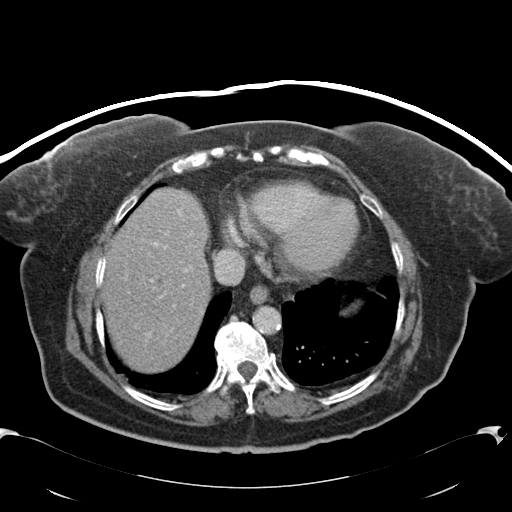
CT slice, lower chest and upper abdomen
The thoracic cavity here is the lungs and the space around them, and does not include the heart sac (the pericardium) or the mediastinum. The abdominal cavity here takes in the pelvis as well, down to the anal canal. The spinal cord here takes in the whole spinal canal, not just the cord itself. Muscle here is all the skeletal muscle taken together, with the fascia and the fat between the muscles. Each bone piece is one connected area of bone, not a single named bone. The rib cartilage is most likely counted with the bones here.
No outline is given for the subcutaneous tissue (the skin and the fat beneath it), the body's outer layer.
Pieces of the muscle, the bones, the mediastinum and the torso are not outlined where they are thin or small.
{"bones":[{"outer":[[232,317],[233,320],[248,323],[261,334],[268,350],[275,354],[279,369],[296,386],[295,391],[282,388],[275,393],[264,382],[258,382],[252,394],[253,414],[245,411],[247,400],[238,383],[232,384],[222,396],[218,389],[203,393],[217,369],[216,333]],"hole":[[245,361],[248,361],[249,362],[251,362],[252,363],[253,363],[256,366],[256,370],[255,371],[255,372],[254,373],[254,374],[249,379],[246,379],[240,373],[240,372],[238,370],[238,366],[241,363],[242,363],[243,362],[244,362]]},[[274,145],[280,145],[285,149],[294,146],[305,151],[319,153],[333,164],[338,166],[342,171],[339,172],[321,165],[311,165],[308,162],[290,164],[279,161],[278,159],[281,155],[280,154],[273,155],[267,151],[269,147]],[[219,146],[221,146],[225,149],[225,154],[220,158],[214,158],[210,156],[209,159],[211,161],[211,163],[208,166],[204,166],[203,167],[190,167],[181,173],[175,173],[170,168],[171,164],[178,159],[184,158],[196,151],[207,150],[213,147],[218,147]],[[377,370],[379,370],[379,374],[377,377],[367,387],[355,395],[349,398],[347,398],[344,400],[342,400],[332,404],[329,404],[328,405],[322,404],[317,400],[317,398],[318,397],[327,396],[337,392],[343,391],[349,388],[364,378],[370,373],[374,372]],[[122,384],[128,384],[135,389],[145,394],[147,394],[156,399],[159,399],[166,402],[176,402],[177,403],[180,403],[182,406],[179,408],[170,411],[166,411],[165,410],[161,410],[160,409],[154,408],[151,406],[144,404],[133,398],[123,389],[121,385]],[[133,194],[136,194],[139,196],[139,198],[138,200],[133,206],[133,207],[131,208],[121,219],[119,223],[117,225],[115,225],[114,224],[114,219],[115,218],[116,213],[119,207],[126,199],[127,199],[131,195]],[[360,193],[364,193],[365,194],[366,194],[367,195],[368,195],[369,196],[370,196],[371,197],[374,198],[376,200],[376,201],[380,206],[380,207],[383,212],[383,217],[381,219],[378,218],[369,209],[368,209],[360,201],[360,200],[358,197],[358,195]],[[400,294],[402,294],[404,297],[404,302],[405,303],[405,313],[403,317],[403,320],[401,323],[400,331],[397,336],[395,338],[392,339],[392,334],[394,330],[394,326],[396,321],[396,314],[397,313],[397,308],[398,307],[398,302],[399,301]],[[393,240],[394,241],[396,241],[398,243],[402,251],[402,254],[403,255],[403,268],[400,274],[398,274],[397,272],[397,270],[395,267],[395,265],[394,264],[394,261],[392,257],[392,254],[391,253],[391,249],[390,248],[390,243],[391,241]],[[97,308],[99,308],[100,309],[101,313],[102,314],[102,316],[103,317],[103,325],[104,326],[104,341],[105,342],[105,347],[103,347],[101,345],[100,341],[98,338],[98,335],[97,334],[97,332],[96,331],[96,328],[95,327],[95,313],[96,312]],[[101,256],[105,256],[105,269],[104,270],[104,273],[103,274],[103,281],[101,284],[101,286],[98,288],[96,286],[96,283],[95,282],[95,269],[96,268],[96,264],[97,263],[97,261],[98,260],[98,258]],[[254,150],[257,150],[262,153],[264,157],[264,160],[261,162],[256,162],[251,159],[249,159],[245,161],[239,161],[235,159],[235,156],[238,152],[242,152],[244,154],[248,156],[250,156],[252,152]]],"muscle":[{"outer":[[283,142],[293,142],[298,144],[312,145],[325,150],[341,159],[365,185],[373,192],[382,205],[400,226],[405,235],[411,242],[413,246],[413,251],[416,257],[417,270],[420,276],[420,286],[421,287],[422,302],[423,303],[422,336],[420,345],[411,364],[405,373],[404,379],[399,386],[394,387],[391,389],[385,389],[381,392],[374,394],[368,398],[345,409],[337,411],[317,419],[308,421],[298,421],[297,422],[287,422],[286,421],[281,421],[277,418],[267,418],[266,419],[258,417],[256,415],[247,415],[235,423],[232,423],[228,421],[223,421],[215,425],[209,425],[208,426],[187,425],[173,422],[170,420],[162,418],[121,398],[102,383],[77,359],[72,356],[65,347],[65,325],[67,317],[68,293],[70,286],[74,279],[74,276],[76,273],[80,258],[87,247],[91,238],[102,228],[104,223],[114,212],[122,199],[130,190],[158,164],[165,160],[182,153],[190,151],[193,148],[197,148],[201,146],[224,145],[225,144],[239,144],[240,145],[246,144],[249,147],[252,148],[278,143],[279,144]],"hole":[[274,145],[319,153],[338,166],[341,172],[331,171],[357,195],[376,200],[389,242],[396,241],[402,251],[403,268],[400,274],[395,270],[395,279],[405,313],[399,333],[369,370],[379,374],[360,392],[328,405],[317,400],[322,393],[296,383],[295,391],[282,388],[275,393],[260,381],[252,394],[253,414],[245,411],[247,400],[238,383],[222,396],[216,389],[174,399],[182,406],[170,411],[138,401],[123,389],[128,380],[109,361],[95,327],[102,301],[95,269],[98,258],[107,253],[119,207],[131,195],[140,197],[173,175],[171,164],[196,151],[223,147],[222,157],[209,157],[212,163],[234,160],[238,152],[250,156],[254,150],[265,159],[277,160],[280,154],[267,151]]}],"torso":[[[154,116],[192,128],[258,120],[324,127],[382,122],[447,148],[503,187],[511,200],[511,272],[475,286],[463,338],[445,377],[402,414],[353,438],[274,453],[160,445],[104,429],[56,405],[44,386],[20,286],[25,250],[0,237],[0,180],[92,128]]],"mediastinum":[[[271,157],[326,168],[357,195],[331,177],[283,167],[234,176],[218,194],[214,216],[220,234],[262,275],[282,286],[322,281],[281,305],[282,371],[248,322],[232,316],[221,325],[232,294],[216,289],[207,208],[188,187],[157,183],[218,160],[261,163]],[[362,204],[379,219],[383,225],[388,237],[390,253],[395,268],[395,277],[392,275],[384,276],[375,283],[376,290],[379,293],[368,290],[361,282],[349,281],[344,283],[341,281],[335,281],[332,278],[344,273],[357,259],[366,246],[371,232],[371,224]]],"abdominal_cavity":[[[167,185],[183,186],[191,190],[210,215],[212,268],[217,294],[209,302],[197,336],[185,357],[167,371],[144,374],[132,371],[124,365],[118,359],[110,344],[100,308],[102,284],[106,269],[106,254],[116,227],[119,224],[121,225],[153,190]],[[356,298],[357,299],[360,299],[363,302],[362,303],[361,306],[359,308],[358,311],[355,314],[354,314],[349,317],[342,317],[341,316],[340,316],[339,315],[339,311],[338,310],[338,308],[346,301],[347,302],[349,302],[351,300],[353,300]]],"pericardium":[[[260,168],[283,168],[299,170],[318,176],[325,176],[347,188],[357,198],[357,201],[361,204],[369,219],[370,232],[363,250],[344,272],[316,282],[282,285],[262,274],[249,255],[231,248],[228,245],[219,230],[215,216],[219,194],[227,182],[232,178]]],"spinal_cord":[[[245,361],[248,361],[249,362],[251,362],[252,363],[253,363],[256,366],[256,370],[255,371],[255,372],[254,373],[254,374],[249,379],[246,379],[240,373],[240,372],[238,370],[238,366],[241,363],[242,363],[243,362],[244,362]]],"thoracic_cavity":[{"outer":[[388,276],[395,278],[399,293],[395,321],[387,349],[379,361],[370,368],[369,373],[349,387],[327,395],[294,383],[283,372],[281,363],[284,339],[282,305],[294,302],[298,292],[318,285],[328,278],[344,284],[361,283],[368,291],[379,294],[376,283]],"hole":[[356,298],[357,299],[360,299],[363,302],[362,303],[361,306],[359,308],[358,311],[355,314],[354,314],[349,317],[342,317],[341,316],[340,316],[339,315],[339,311],[338,310],[338,308],[346,301],[347,302],[349,302],[351,300],[353,300]]},[[227,291],[231,294],[230,305],[213,340],[216,362],[215,373],[202,390],[178,400],[166,401],[156,398],[132,386],[121,373],[115,370],[109,361],[106,353],[105,332],[117,359],[130,371],[144,375],[155,375],[171,370],[186,357],[192,348],[212,299]],[[156,183],[158,185],[164,185],[160,185],[153,189],[140,202],[140,203],[131,212],[131,213],[130,213],[129,215],[127,216],[126,219],[121,224],[120,222],[122,219],[128,213],[128,212],[134,207],[144,192],[150,186]]]}